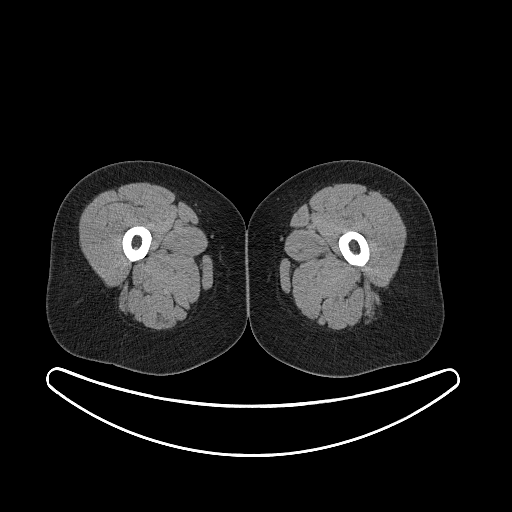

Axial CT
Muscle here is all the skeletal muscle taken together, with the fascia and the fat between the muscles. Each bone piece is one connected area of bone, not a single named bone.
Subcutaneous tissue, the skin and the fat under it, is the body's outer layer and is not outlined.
The bones appear in 2 outlined pieces: piece 1: [[348,230],[353,230],[360,233],[364,236],[368,243],[368,246],[370,251],[369,258],[367,262],[362,266],[357,266],[356,265],[352,265],[350,264],[344,258],[343,255],[339,249],[339,247],[338,246],[338,240],[339,239],[339,237],[343,233]]; piece 2: [[136,225],[142,225],[146,227],[151,233],[152,238],[151,239],[151,243],[150,244],[149,249],[146,255],[143,258],[139,259],[136,261],[133,261],[132,262],[128,259],[123,251],[123,249],[122,248],[122,238],[125,231],[127,229],[132,226],[135,226]]. The right leg is outlined by [[125,160],[158,161],[193,173],[226,196],[238,209],[246,224],[247,312],[245,329],[240,338],[225,352],[181,373],[150,375],[112,364],[74,356],[56,342],[48,326],[45,311],[45,296],[49,272],[51,234],[58,208],[68,191],[82,177],[102,166]]. The left leg is outlined by [[333,160],[363,160],[382,165],[396,172],[416,189],[431,213],[437,238],[445,317],[439,339],[429,353],[418,361],[385,367],[351,377],[314,375],[287,365],[267,353],[255,339],[250,324],[247,322],[246,226],[253,211],[272,190],[292,175],[308,167]]. The muscle appears in 2 outlined pieces: piece 1: [[143,181],[161,185],[169,189],[196,212],[207,236],[208,246],[213,261],[214,291],[209,300],[191,323],[180,329],[162,331],[161,333],[136,329],[123,320],[115,299],[91,268],[79,245],[78,223],[80,215],[86,205],[102,191],[116,188],[126,183]] with a hole at [[136,225],[142,225],[146,227],[151,233],[152,238],[151,239],[151,243],[150,244],[149,249],[146,255],[143,258],[139,259],[136,261],[133,261],[132,262],[128,259],[123,251],[123,249],[122,248],[122,238],[125,231],[127,229],[132,226],[135,226]]; piece 2: [[334,183],[359,183],[380,191],[396,207],[407,232],[403,254],[398,269],[386,290],[381,306],[381,314],[371,324],[358,330],[343,333],[316,331],[304,323],[280,298],[277,285],[277,274],[283,252],[284,237],[287,234],[288,224],[292,214],[316,191]]; inner edge: [[348,230],[353,230],[360,233],[364,236],[368,243],[368,246],[370,251],[369,258],[367,262],[362,266],[357,266],[356,265],[352,265],[350,264],[344,258],[343,255],[339,249],[339,247],[338,246],[338,240],[339,239],[339,237],[343,233]].